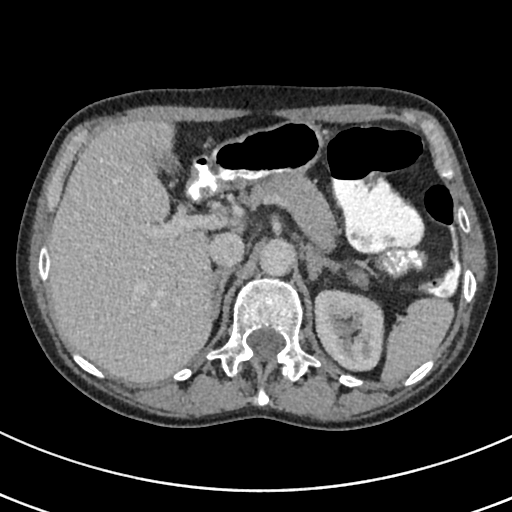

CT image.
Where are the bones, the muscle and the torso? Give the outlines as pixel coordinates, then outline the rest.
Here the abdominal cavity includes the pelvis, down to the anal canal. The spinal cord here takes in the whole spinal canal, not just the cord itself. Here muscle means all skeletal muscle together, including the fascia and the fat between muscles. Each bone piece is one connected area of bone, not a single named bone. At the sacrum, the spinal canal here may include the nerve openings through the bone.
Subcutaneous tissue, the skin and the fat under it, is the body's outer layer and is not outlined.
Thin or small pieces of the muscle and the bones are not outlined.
bones 1: 258,276 291,281 299,295 303,309 299,344 321,365 310,366 296,381 283,376 281,365 277,363 265,376 259,377 253,362 244,361 240,364 242,370 229,377 218,358 206,358 209,351 227,341 236,295 242,286; inner edge: 264,327 266,328 271,328 275,331 278,332 285,340 285,344 284,346 275,355 275,358 274,359 268,360 267,361 263,361 256,357 255,356 254,351 247,343 247,337 253,331 260,329 261,328 263,328
bones 2: 83,130 86,130 87,133 84,136 83,141 75,145 75,152 71,157 70,162 67,164 62,176 62,185 57,205 52,211 50,211 47,206 46,193 52,176 59,164 59,161 66,149 66,146 70,142 72,137
bones 3: 423,119 430,120 435,125 444,140 445,145 449,154 449,158 451,160 451,166 454,171 454,175 451,179 443,177 439,173 438,164 436,163 436,154 434,151 434,147 430,143 428,140 428,138 420,126 420,122
bones 4: 466,268 468,268 471,270 471,271 473,273 473,274 474,275 474,277 475,278 475,280 476,281 476,290 475,291 474,296 473,297 472,300 470,302 466,302 465,301 465,299 464,298 464,295 463,294 463,271
bones 5: 430,359 432,359 433,360 433,365 432,366 432,367 430,369 430,370 421,380 420,380 418,382 417,382 414,384 412,384 411,385 408,385 407,386 406,386 403,384 403,382 414,370 415,370 424,362 425,362
bones 6: 44,244 46,244 48,246 48,251 49,252 49,258 50,259 50,261 49,262 49,270 48,271 48,274 47,275 47,279 45,282 42,281 38,273 38,261 39,260 39,253 40,252 40,250 42,246
bones 7: 73,352 75,352 79,354 82,357 83,357 86,360 87,360 90,363 95,366 99,370 100,370 104,374 104,377 103,378 97,377 92,374 88,373 86,371 82,369 75,362 75,361 73,359 72,357 72,353
bones 8: 260,386 262,386 263,387 265,392 267,394 269,398 269,400 268,402 266,404 264,405 262,405 261,406 259,405 257,405 256,404 254,404 253,403 253,398 256,395 257,393 257,391 258,390 258,388
muscle: 356,103 369,103 381,106 393,106 396,108 411,107 424,110 433,115 443,127 451,143 481,228 485,244 486,272 473,306 470,316 470,324 463,346 454,360 437,379 405,401 374,415 355,420 312,420 306,416 279,411 273,408 266,409 255,406 246,406 235,410 208,414 201,417 177,418 151,413 109,395 87,383 64,363 57,353 54,341 42,318 36,302 35,294 31,287 29,277 29,248 37,201 45,178 63,140 76,125 96,115 100,116 104,114 113,114 116,111 122,111 128,108 144,105 182,105 194,107 218,107 249,109 253,111 270,111 276,109; inner edges: 253,114 343,124 394,120 421,131 420,122 428,119 439,131 454,171 451,179 440,177 455,209 462,205 468,216 470,231 458,226 461,265 473,273 476,290 466,302 461,289 451,329 418,382 340,384 337,377 345,373 317,342 306,292 299,344 321,365 310,366 296,381 283,376 277,363 259,377 253,362 244,361 229,377 218,358 206,358 230,335 228,298 218,330 189,365 192,374 185,380 170,375 128,383 105,372 100,378 73,359 76,351 58,322 49,282 38,273 56,211 49,210 46,193 72,137 87,133 75,145 63,183 84,145 110,124, then 260,386 262,386 263,387 265,392 267,394 269,398 269,400 268,402 266,404 264,405 262,405 261,406 259,405 257,405 256,404 254,404 253,403 253,398 256,395 257,393 257,391 258,390 258,388, then 410,113 411,113 412,114 413,115 414,116 415,117 416,118 416,119 416,120 415,121 414,121 413,121 412,120 411,120 410,120 409,119 408,119 407,118 406,117 406,116 407,115 408,114 409,114
torso: 245,83 407,90 440,107 456,130 493,226 497,281 479,335 459,370 428,400 391,420 342,431 266,418 195,428 155,425 114,412 75,388 50,363 30,327 16,281 16,242 30,188 62,124 87,104 124,92
abdominal cavity: 253,114 394,120 433,147 454,200 462,288 449,333 405,379 345,373 317,342 309,295 304,315 293,282 277,277 242,285 231,321 226,298 189,367 153,383 104,373 64,336 50,297 50,227 84,145 128,119
spinal cord: 264,327 266,328 271,328 275,331 278,332 285,340 285,344 284,346 275,355 275,358 274,359 268,360 267,361 263,361 256,357 255,356 254,351 247,343 247,337 253,331 260,329 261,328 263,328